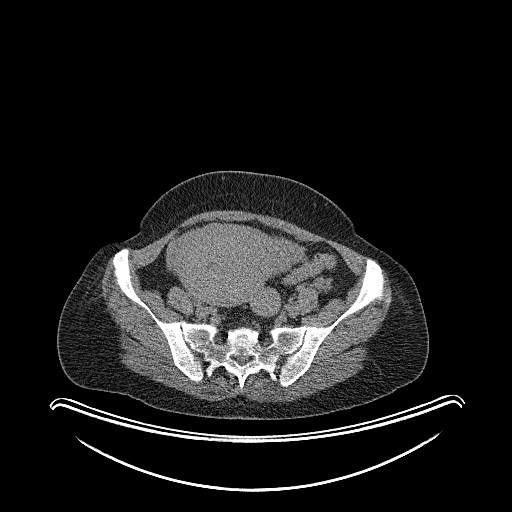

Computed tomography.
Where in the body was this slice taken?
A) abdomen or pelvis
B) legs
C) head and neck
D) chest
A) abdomen or pelvis
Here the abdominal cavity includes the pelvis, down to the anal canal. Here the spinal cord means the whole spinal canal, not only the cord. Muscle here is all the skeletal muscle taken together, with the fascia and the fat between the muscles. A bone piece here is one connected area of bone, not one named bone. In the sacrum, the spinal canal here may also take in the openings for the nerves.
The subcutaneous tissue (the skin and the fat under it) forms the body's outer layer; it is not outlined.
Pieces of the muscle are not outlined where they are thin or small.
{"abdominal_cavity":[[[214,219],[255,220],[326,243],[355,282],[344,299],[319,308],[316,290],[302,287],[295,301],[302,324],[273,326],[269,338],[246,325],[217,337],[215,324],[184,319],[192,311],[187,292],[173,286],[166,305],[158,290],[142,287],[138,272],[180,229]]],"muscle":[[[112,256],[115,283],[130,300],[148,313],[166,339],[173,364],[195,383],[223,367],[236,377],[240,389],[250,375],[261,370],[286,388],[308,370],[320,345],[342,320],[375,300],[389,301],[385,298],[386,281],[382,268],[391,281],[392,300],[380,328],[367,343],[368,357],[363,362],[363,368],[355,375],[313,394],[285,402],[259,402],[243,395],[211,401],[134,372],[120,361],[118,327],[101,295],[101,279]],[[211,210],[243,210],[274,216],[343,244],[367,256],[358,293],[350,305],[330,324],[325,326],[303,324],[307,315],[300,312],[296,303],[302,288],[312,288],[315,290],[317,293],[317,308],[319,309],[333,298],[344,300],[348,291],[356,282],[357,277],[355,273],[340,252],[326,242],[305,241],[282,229],[265,225],[255,219],[204,219],[180,228],[177,233],[164,244],[157,257],[137,272],[141,287],[146,290],[158,291],[166,306],[170,305],[168,302],[168,294],[173,287],[178,287],[187,293],[191,304],[191,311],[188,313],[181,312],[180,314],[183,319],[173,321],[160,319],[141,299],[133,286],[129,262],[130,252],[128,248],[141,248],[163,236],[178,223],[190,216]]],"bones":[{"outer":[[122,248],[132,286],[155,316],[213,324],[218,345],[239,326],[258,330],[268,346],[273,327],[330,325],[359,293],[369,257],[382,270],[388,301],[342,319],[286,387],[261,369],[240,388],[223,366],[195,382],[174,364],[149,313],[116,283],[112,259]],"hole":[[240,356],[241,356],[242,357],[246,357],[247,358],[247,360],[246,361],[246,362],[244,364],[243,364],[242,365],[241,365],[240,364],[239,364],[239,363],[237,361],[237,360],[236,359],[236,358],[237,357],[239,357]]}],"torso":[[[217,170],[267,173],[308,185],[334,202],[358,234],[407,269],[417,287],[429,334],[427,361],[415,380],[368,403],[325,414],[225,419],[158,409],[124,394],[78,386],[65,375],[56,347],[58,320],[91,257],[103,245],[137,233],[147,210],[167,190]]],"spinal_cord":[[[240,356],[241,356],[242,357],[246,357],[247,358],[247,360],[246,361],[246,362],[244,364],[243,364],[242,365],[241,365],[240,364],[239,364],[239,363],[237,361],[237,360],[236,359],[236,358],[237,357],[239,357]],[[218,337],[219,337],[220,338],[221,338],[221,339],[222,340],[222,341],[221,342],[221,343],[220,343],[219,344],[218,344],[217,343],[216,343],[216,342],[215,341],[215,340],[216,339],[216,338],[217,338]],[[267,338],[268,338],[269,339],[270,339],[270,340],[271,341],[271,342],[270,343],[270,344],[269,344],[268,345],[267,345],[266,344],[265,344],[265,343],[264,342],[264,341],[265,340],[265,339],[266,339]]]}